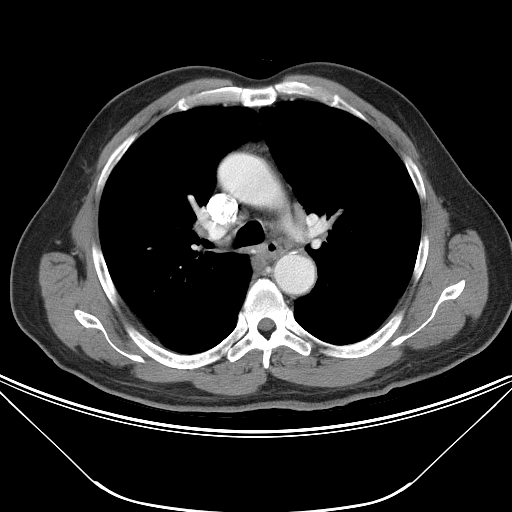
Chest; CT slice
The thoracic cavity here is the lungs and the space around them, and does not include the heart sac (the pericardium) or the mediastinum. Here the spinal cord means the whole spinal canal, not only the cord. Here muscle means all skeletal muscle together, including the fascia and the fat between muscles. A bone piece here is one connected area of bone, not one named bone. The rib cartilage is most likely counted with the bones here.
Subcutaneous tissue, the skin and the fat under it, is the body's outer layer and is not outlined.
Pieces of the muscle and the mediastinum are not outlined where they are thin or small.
The mediastinum is outlined by [[262,138],[306,214],[309,244],[305,249],[317,269],[317,279],[311,291],[295,299],[292,308],[269,278],[260,277],[250,285],[252,268],[249,256],[243,252],[216,247],[208,238],[204,221],[204,207],[216,185],[217,167],[222,158],[239,146]]. The bones appear in 8 outlined pieces: piece 1: [[260,278],[275,284],[306,331],[334,345],[367,338],[400,310],[403,318],[388,340],[360,357],[326,355],[316,344],[303,355],[280,345],[267,368],[257,348],[234,361],[223,356],[192,369],[170,367],[146,354],[125,324],[172,352],[206,351],[234,329]] with a hole at [[264,318],[268,318],[269,319],[270,319],[273,322],[273,323],[274,324],[274,327],[271,330],[270,330],[269,331],[261,331],[259,329],[259,328],[258,327],[258,324],[259,323],[259,322],[262,319],[263,319]]; piece 2: [[284,80],[294,80],[309,85],[318,85],[333,94],[337,94],[358,110],[368,120],[368,123],[345,110],[309,97],[296,95],[279,96],[273,103],[265,106],[249,107],[239,102],[215,103],[198,105],[164,115],[179,99],[204,90],[233,85],[259,88]]; piece 3: [[93,242],[95,242],[100,246],[107,267],[108,273],[111,278],[114,287],[120,297],[118,300],[118,306],[117,308],[115,308],[110,302],[100,283],[99,278],[97,275],[95,269],[95,266],[93,262],[92,251],[91,250],[91,246]]; piece 4: [[462,279],[465,281],[465,284],[462,291],[456,298],[447,299],[442,301],[439,304],[434,316],[420,330],[410,337],[405,339],[398,345],[395,346],[390,345],[391,342],[399,336],[406,334],[418,327],[431,314],[432,309],[442,291],[447,286],[454,284]]; piece 5: [[135,132],[137,132],[138,133],[138,136],[133,141],[114,166],[105,182],[105,184],[103,187],[101,194],[100,195],[98,195],[96,193],[97,182],[98,181],[99,176],[101,173],[101,171],[105,165],[108,158],[117,146],[118,146],[129,135]]; piece 6: [[75,309],[82,310],[95,316],[102,324],[110,340],[117,347],[127,353],[137,354],[141,356],[144,359],[144,362],[135,361],[118,352],[110,345],[105,338],[104,334],[98,328],[95,328],[94,327],[85,327],[82,325],[78,321],[74,315],[74,310]]; piece 7: [[423,233],[426,233],[428,236],[428,240],[429,241],[428,252],[427,253],[426,261],[423,270],[421,273],[421,275],[414,285],[412,279],[412,274],[413,273],[413,270],[414,269],[414,266],[417,257],[417,253],[419,248],[419,243],[420,242],[421,235]]; piece 8: [[402,154],[406,154],[408,155],[415,163],[415,164],[417,166],[420,172],[420,174],[421,175],[421,177],[423,181],[424,188],[425,189],[425,198],[423,200],[419,198],[419,196],[416,191],[416,189],[411,179],[411,177],[404,164],[404,162],[402,160]]. The thoracic cavity is outlined by [[288,99],[359,118],[403,162],[420,206],[407,286],[361,340],[306,330],[293,306],[318,279],[307,214],[265,139],[250,140],[221,158],[203,207],[213,245],[249,258],[236,323],[206,350],[167,349],[109,273],[106,182],[164,116],[209,105],[257,114]]. The muscle is outlined by [[288,74],[340,83],[412,141],[432,187],[484,245],[488,296],[479,317],[450,340],[339,388],[269,375],[255,393],[222,395],[186,381],[148,382],[73,351],[47,320],[38,281],[42,250],[79,207],[113,135],[166,92],[203,77],[243,86],[179,98],[140,135],[135,131],[115,147],[96,182],[100,245],[93,241],[90,250],[99,283],[111,305],[117,309],[121,299],[157,343],[131,324],[124,324],[127,335],[158,363],[189,370],[223,357],[234,362],[253,349],[262,352],[267,369],[280,346],[303,356],[316,345],[326,356],[360,358],[391,338],[405,310],[389,317],[411,278],[414,286],[419,280],[429,252],[429,236],[421,234],[421,172],[340,95],[318,84],[280,80]]; inner edges: [[462,279],[465,281],[465,284],[462,291],[456,298],[447,299],[442,301],[439,304],[434,316],[420,330],[410,337],[405,339],[398,345],[395,346],[390,345],[391,342],[399,336],[406,334],[418,327],[431,314],[432,309],[442,291],[447,286],[454,284]], then [[75,309],[82,310],[95,316],[102,324],[110,340],[117,347],[127,353],[137,354],[141,356],[144,359],[144,362],[135,361],[118,352],[110,345],[105,338],[104,334],[98,328],[95,328],[94,327],[85,327],[82,325],[78,321],[74,315],[74,310]]. The spinal cord is outlined by [[264,318],[268,318],[269,319],[270,319],[273,322],[273,323],[274,324],[274,327],[271,330],[270,330],[269,331],[261,331],[259,329],[259,328],[258,327],[258,324],[259,323],[259,322],[262,319],[263,319]]. The torso is outlined by [[309,61],[348,65],[399,90],[422,113],[463,173],[503,221],[511,237],[511,312],[494,339],[477,354],[427,379],[382,395],[313,411],[162,410],[105,393],[58,368],[13,317],[10,269],[25,227],[97,112],[122,90],[180,66],[209,65],[265,78]].